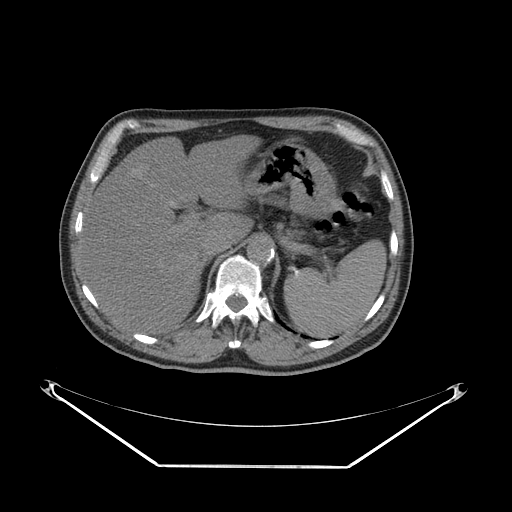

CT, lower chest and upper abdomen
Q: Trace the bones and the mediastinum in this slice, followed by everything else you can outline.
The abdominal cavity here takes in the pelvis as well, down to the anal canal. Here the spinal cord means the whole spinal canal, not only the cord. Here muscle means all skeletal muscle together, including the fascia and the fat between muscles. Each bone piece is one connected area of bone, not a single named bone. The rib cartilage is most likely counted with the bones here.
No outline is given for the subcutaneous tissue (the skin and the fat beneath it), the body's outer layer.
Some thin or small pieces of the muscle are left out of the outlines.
A: {"bones":[{"outer":[[236,254],[242,255],[259,266],[262,277],[260,293],[267,297],[275,321],[271,322],[261,315],[257,325],[254,326],[245,316],[236,323],[225,316],[215,328],[211,325],[210,316],[200,322],[195,322],[204,306],[206,294],[214,289],[219,265],[226,258]],"hole":[[232,295],[235,295],[236,296],[237,296],[238,295],[241,295],[243,297],[244,297],[246,300],[246,304],[242,308],[241,308],[239,310],[238,310],[237,311],[234,311],[233,310],[232,310],[228,306],[228,305],[226,303],[226,300],[230,296],[231,296]]},[[128,119],[133,119],[138,121],[141,126],[134,129],[126,129],[123,132],[121,137],[111,150],[108,156],[107,165],[101,174],[101,176],[96,183],[94,184],[91,183],[90,181],[91,170],[95,164],[96,160],[100,154],[101,149],[108,136],[119,123]],[[336,122],[338,122],[352,129],[355,129],[357,130],[361,134],[369,138],[372,142],[372,145],[370,146],[368,146],[367,145],[361,145],[357,143],[354,143],[351,141],[348,141],[344,137],[341,136],[334,131],[335,130],[335,128],[334,127],[334,123]],[[381,170],[384,170],[386,172],[388,176],[388,178],[389,179],[389,181],[390,182],[390,184],[392,188],[392,191],[393,192],[393,199],[392,200],[388,199],[388,198],[386,196],[386,194],[385,193],[385,190],[382,185],[382,183],[380,179],[380,171]],[[382,292],[384,294],[384,300],[382,304],[380,306],[378,310],[368,320],[365,321],[363,319],[364,317],[366,315],[366,314],[368,312],[368,311],[370,309],[370,308],[372,306],[374,302],[377,299],[378,296]],[[324,339],[333,339],[334,340],[334,341],[331,344],[330,344],[329,345],[328,345],[327,346],[325,346],[324,347],[322,347],[321,348],[311,348],[309,346],[308,346],[308,345],[307,344],[308,343],[308,342],[309,341],[310,341],[311,340],[323,340]],[[135,332],[136,332],[137,333],[141,333],[142,334],[145,334],[146,335],[148,335],[149,336],[152,336],[153,337],[155,337],[156,338],[157,338],[157,341],[152,344],[147,344],[146,343],[144,343],[141,341],[139,341],[133,337],[133,333],[134,333]],[[392,230],[394,230],[395,231],[395,232],[396,233],[396,236],[397,237],[397,253],[396,254],[396,255],[392,255],[390,253],[390,245],[389,244],[389,242],[390,241],[390,233],[391,232],[391,231]],[[83,283],[85,283],[87,285],[87,286],[91,291],[92,294],[94,296],[94,297],[95,298],[95,299],[96,300],[96,301],[98,304],[98,308],[96,308],[89,301],[89,300],[85,296],[85,295],[83,292],[83,290],[82,289],[82,284]],[[79,211],[82,211],[82,212],[83,213],[83,218],[82,219],[82,229],[81,230],[81,231],[79,233],[78,233],[77,234],[76,234],[76,233],[75,232],[75,228],[74,227],[75,226],[75,221],[76,220],[76,217],[77,216],[77,214]],[[235,338],[236,338],[237,339],[238,339],[241,342],[241,343],[240,344],[240,346],[238,348],[230,348],[229,347],[229,346],[228,345],[228,343],[229,342],[229,341],[230,341],[231,340],[232,340],[233,339],[234,339]]],"mediastinum":[[[254,240],[266,240],[268,241],[273,247],[275,253],[275,267],[274,268],[274,272],[267,287],[266,295],[262,291],[263,290],[263,277],[262,276],[262,270],[260,266],[257,263],[248,259],[242,254],[238,253],[247,244],[253,242]]],"muscle":[{"outer":[[307,115],[324,115],[325,116],[332,116],[340,118],[349,121],[363,131],[371,135],[381,147],[393,173],[393,176],[396,182],[397,189],[401,201],[401,206],[402,207],[404,243],[403,244],[403,255],[401,259],[401,264],[400,265],[400,277],[399,278],[398,294],[390,313],[382,323],[374,330],[362,338],[357,340],[343,349],[324,358],[310,362],[294,364],[293,365],[272,366],[271,365],[264,365],[258,363],[250,359],[244,352],[242,352],[238,349],[231,350],[227,354],[220,356],[213,360],[207,362],[200,362],[199,363],[186,363],[185,362],[180,362],[179,361],[174,361],[169,359],[161,358],[132,348],[103,331],[89,318],[84,311],[79,301],[75,290],[75,285],[72,276],[71,260],[70,259],[70,248],[69,247],[69,243],[70,242],[69,239],[69,222],[70,221],[72,209],[75,202],[75,199],[81,182],[85,176],[87,168],[102,139],[107,132],[116,123],[126,118],[176,118],[177,119],[195,120],[196,119],[209,119],[210,118],[221,119],[222,118],[233,118],[234,117],[306,116]],"holes":[[[128,119],[141,126],[124,134],[185,131],[237,121],[334,133],[338,122],[369,138],[372,145],[363,147],[373,156],[373,168],[386,172],[392,188],[391,229],[397,237],[397,253],[389,254],[378,310],[321,348],[311,348],[309,339],[261,315],[256,326],[245,316],[236,323],[225,316],[213,328],[209,316],[152,344],[134,338],[133,331],[85,296],[81,233],[76,234],[74,227],[96,185],[90,173],[101,149],[114,128]],[[235,338],[236,338],[237,339],[238,339],[241,342],[241,343],[240,344],[240,346],[238,348],[230,348],[229,347],[229,346],[228,345],[228,343],[229,342],[229,341],[230,341],[231,340],[232,340],[233,339],[234,339]]]}],"torso":[[[164,106],[176,109],[328,107],[357,115],[381,134],[403,180],[413,225],[413,261],[409,288],[392,329],[381,343],[341,364],[295,375],[194,373],[156,367],[117,353],[85,328],[66,295],[60,275],[58,231],[65,199],[93,139],[110,117],[127,109]]],"spinal_cord":[[[232,295],[235,295],[236,296],[237,296],[238,295],[241,295],[243,297],[244,297],[246,300],[246,304],[242,308],[241,308],[239,310],[238,310],[237,311],[234,311],[233,310],[232,310],[228,306],[228,305],[226,303],[226,300],[230,296],[231,296]]],"abdominal_cavity":[[[237,121],[332,132],[373,156],[373,168],[391,205],[389,266],[383,289],[363,318],[336,337],[310,340],[276,320],[267,296],[276,253],[266,239],[254,239],[226,257],[196,317],[159,337],[120,324],[99,305],[86,283],[80,249],[84,213],[122,136]]]}